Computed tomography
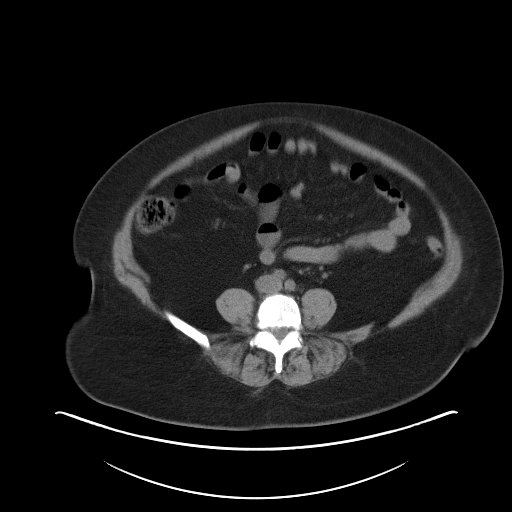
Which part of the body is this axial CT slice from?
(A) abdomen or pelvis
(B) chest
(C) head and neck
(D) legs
Answer: (A) abdomen or pelvis
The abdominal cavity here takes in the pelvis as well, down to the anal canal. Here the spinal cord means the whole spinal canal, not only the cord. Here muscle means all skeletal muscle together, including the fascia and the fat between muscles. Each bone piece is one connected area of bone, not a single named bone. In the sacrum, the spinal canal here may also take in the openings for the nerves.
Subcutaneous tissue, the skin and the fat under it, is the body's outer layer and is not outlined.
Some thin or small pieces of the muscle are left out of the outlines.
{"muscle":[{"outer":[[279,117],[302,118],[309,121],[314,121],[318,123],[324,124],[327,126],[330,126],[354,138],[356,138],[374,147],[376,147],[406,165],[425,181],[427,185],[436,195],[443,206],[445,211],[449,216],[453,228],[457,234],[461,237],[462,250],[463,251],[463,262],[462,263],[461,272],[457,280],[449,291],[442,297],[436,300],[419,316],[407,321],[398,327],[396,327],[393,329],[388,329],[381,333],[378,333],[370,336],[365,340],[356,344],[353,347],[353,357],[352,359],[337,374],[334,375],[324,383],[317,385],[311,385],[307,387],[288,387],[279,380],[275,379],[265,386],[249,387],[236,383],[220,375],[207,362],[206,359],[202,356],[201,350],[197,345],[189,340],[186,340],[180,337],[178,333],[173,328],[144,306],[128,288],[122,285],[117,280],[113,273],[111,247],[112,246],[112,240],[114,233],[120,226],[126,210],[136,198],[144,185],[161,169],[178,157],[183,155],[200,144],[202,144],[204,142],[208,141],[212,138],[214,138],[229,130],[258,120],[264,120],[269,118],[278,118]],"hole":[[282,122],[309,125],[422,190],[439,217],[445,257],[403,308],[379,327],[369,322],[324,330],[336,312],[336,299],[326,288],[307,289],[299,307],[302,346],[283,355],[277,374],[274,355],[249,344],[257,330],[256,299],[249,291],[229,287],[217,296],[215,307],[231,327],[198,327],[208,338],[206,350],[175,328],[164,314],[168,308],[154,299],[150,276],[134,256],[131,233],[134,214],[148,191],[166,177],[262,125]]}],"bones":[{"outer":[[275,293],[290,295],[297,302],[301,314],[302,328],[300,330],[300,334],[303,339],[301,348],[292,348],[283,355],[282,369],[278,374],[275,372],[274,355],[269,351],[255,346],[250,346],[249,344],[250,339],[257,330],[256,311],[260,302],[267,295]],"hole":[[276,328],[277,329],[278,328],[286,328],[288,330],[287,331],[287,332],[286,333],[286,334],[281,339],[278,339],[277,338],[276,338],[276,337],[273,334],[273,333],[272,332],[272,331],[274,329],[275,329]]},[[165,309],[167,309],[171,311],[174,314],[183,319],[188,323],[191,324],[193,326],[196,327],[200,331],[204,333],[207,336],[209,343],[210,344],[210,347],[209,349],[207,350],[204,349],[191,338],[175,328],[170,323],[165,316],[164,314],[164,310]]],"spinal_cord":[[[276,328],[277,329],[278,328],[286,328],[288,330],[287,331],[287,332],[286,333],[286,334],[281,339],[278,339],[277,338],[276,338],[276,337],[273,334],[273,333],[272,332],[272,331],[274,329],[275,329]]],"torso":[[[262,100],[328,102],[371,111],[418,131],[461,165],[491,210],[502,248],[503,293],[490,331],[427,393],[339,423],[207,429],[92,400],[72,380],[63,355],[66,330],[91,293],[90,274],[75,264],[71,245],[84,199],[114,161],[157,129],[205,110]]],"abdominal_cavity":[[[282,122],[309,125],[379,162],[435,207],[443,263],[379,327],[324,330],[337,302],[323,287],[307,289],[300,306],[290,294],[267,294],[256,310],[249,291],[226,288],[214,302],[231,324],[223,331],[193,325],[150,292],[131,233],[148,191],[254,129]]]}